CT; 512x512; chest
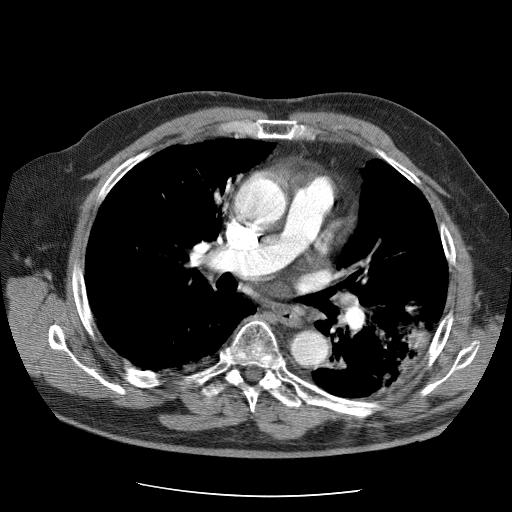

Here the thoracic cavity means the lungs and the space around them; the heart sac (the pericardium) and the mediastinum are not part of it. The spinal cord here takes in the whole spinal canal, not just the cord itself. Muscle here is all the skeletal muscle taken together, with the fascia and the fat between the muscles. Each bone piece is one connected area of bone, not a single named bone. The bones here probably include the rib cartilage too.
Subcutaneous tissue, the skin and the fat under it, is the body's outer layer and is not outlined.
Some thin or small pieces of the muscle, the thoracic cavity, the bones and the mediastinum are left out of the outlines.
The bones appear in 10 outlined pieces: piece 1: [[253,319],[269,326],[287,368],[293,373],[332,395],[378,400],[384,408],[359,418],[304,401],[298,407],[291,407],[263,390],[251,412],[237,386],[227,384],[217,394],[207,397],[200,386],[178,383],[184,376],[215,363],[219,351],[230,344],[240,326]], around a hole outlined by [[251,365],[254,365],[255,366],[257,366],[259,368],[262,369],[262,371],[263,372],[261,378],[260,378],[257,381],[255,382],[250,382],[248,381],[245,378],[243,374],[244,373],[244,370],[245,368],[247,366],[250,366]]; piece 2: [[245,119],[249,119],[252,121],[257,119],[296,120],[299,123],[304,123],[314,128],[317,128],[321,132],[312,140],[307,139],[282,139],[281,138],[256,139],[250,137],[236,138],[231,135],[216,135],[215,134],[216,129],[220,124],[234,120],[244,120]]; piece 3: [[76,259],[79,260],[83,266],[83,278],[85,284],[85,292],[91,313],[96,324],[96,327],[99,332],[99,333],[98,332],[95,333],[96,337],[95,340],[93,340],[90,337],[81,321],[77,311],[73,295],[71,284],[71,275],[72,274],[73,263]]; piece 4: [[53,324],[57,324],[60,326],[64,334],[64,339],[67,347],[81,363],[88,367],[93,368],[105,380],[111,383],[120,385],[126,392],[124,394],[122,394],[110,389],[102,384],[96,378],[79,367],[64,350],[52,348],[48,342],[48,328],[49,326]]; piece 5: [[147,149],[151,149],[151,154],[137,163],[133,167],[132,167],[113,186],[113,187],[106,195],[103,201],[97,208],[97,210],[96,211],[95,210],[95,205],[96,204],[96,199],[97,198],[98,193],[101,187],[111,174],[111,173],[125,160]]; piece 6: [[451,309],[452,309],[453,311],[453,321],[446,342],[431,366],[429,368],[425,369],[426,363],[427,362],[426,360],[424,359],[424,356],[426,353],[426,351],[428,349],[428,347],[432,340],[432,338],[436,331],[436,329],[439,324],[440,320],[442,317]]; piece 7: [[125,360],[127,360],[132,365],[139,369],[141,369],[142,370],[151,370],[154,372],[159,372],[161,373],[162,383],[158,386],[153,386],[152,387],[138,387],[133,384],[131,384],[124,379],[121,375],[121,374],[124,371],[123,366],[124,365]]; piece 8: [[473,340],[478,340],[479,341],[479,347],[473,359],[470,362],[470,363],[460,369],[456,369],[444,381],[436,386],[426,395],[421,395],[419,393],[420,390],[421,390],[428,384],[435,382],[442,378],[450,370],[460,350],[462,348],[468,346]]; piece 9: [[374,147],[377,147],[383,150],[389,156],[390,156],[392,158],[402,164],[409,170],[410,170],[420,180],[423,191],[422,191],[417,186],[416,186],[409,180],[408,180],[401,173],[400,173],[396,169],[395,169],[384,159],[379,157],[374,152],[373,150]]; piece 10: [[440,222],[444,222],[445,223],[452,237],[452,239],[453,240],[453,244],[455,248],[455,265],[451,267],[451,270],[450,271],[449,271],[448,269],[448,263],[445,257],[444,249],[443,248],[443,245],[442,244],[442,241],[440,236],[440,232],[438,227]]. The thoracic cavity appears in 2 outlined pieces: piece 1: [[214,135],[274,144],[225,192],[225,213],[209,256],[215,276],[230,272],[238,282],[237,292],[251,300],[256,311],[242,320],[212,364],[198,370],[201,363],[181,370],[142,369],[114,350],[97,327],[84,278],[90,230],[107,195],[137,164],[174,144]]; piece 2: [[378,157],[426,198],[447,263],[447,295],[427,349],[409,376],[399,385],[364,399],[346,398],[297,374],[306,377],[326,367],[332,355],[332,341],[315,325],[321,315],[316,306],[287,302],[316,294],[336,282],[338,255],[358,222],[364,182],[360,172]]. The torso is outlined by [[191,90],[263,98],[352,91],[390,99],[440,128],[504,206],[511,238],[511,273],[500,336],[483,381],[439,434],[393,448],[325,457],[217,457],[108,439],[64,423],[46,403],[20,361],[6,325],[0,238],[12,176],[33,158],[75,143],[115,112]]. The mediastinum appears in 2 outlined pieces: piece 1: [[226,192],[227,219],[280,280],[296,286],[318,276],[340,250],[333,285],[286,302],[316,307],[320,315],[314,325],[331,341],[327,365],[309,375],[288,367],[265,321],[242,322],[257,305],[238,292],[235,276],[230,271],[216,276],[210,256],[220,237]]; piece 2: [[317,136],[351,142],[377,156],[369,160],[359,172],[363,182],[358,198],[357,222],[351,235],[356,221],[357,194],[355,185],[337,168],[313,159],[300,157],[270,158],[258,164],[266,158],[275,147],[273,142],[265,141],[263,140],[265,139],[312,141]]. The muscle is outlined by [[213,106],[257,109],[271,118],[222,122],[213,135],[174,143],[154,153],[147,148],[125,159],[97,193],[84,265],[77,258],[72,263],[70,284],[80,321],[93,341],[96,333],[100,334],[125,359],[121,377],[138,388],[152,388],[163,383],[162,371],[181,371],[201,364],[177,383],[200,387],[200,393],[207,398],[231,385],[244,395],[251,413],[256,410],[260,394],[266,391],[291,408],[304,402],[362,419],[385,408],[378,399],[365,399],[403,383],[422,356],[424,369],[432,366],[454,321],[452,308],[443,315],[449,272],[456,265],[453,237],[444,221],[438,225],[421,180],[383,149],[374,146],[373,153],[351,141],[318,135],[322,132],[319,128],[287,118],[295,111],[332,111],[377,125],[448,194],[441,198],[474,264],[477,293],[472,326],[497,323],[501,328],[488,371],[466,402],[420,421],[352,429],[331,423],[296,439],[276,440],[260,432],[253,421],[198,431],[170,429],[158,421],[158,407],[118,407],[29,378],[6,325],[8,278],[40,274],[63,296],[78,207],[96,181],[82,177],[156,126]], around holes outlined by [[53,324],[57,324],[60,326],[64,334],[64,339],[67,347],[81,363],[88,367],[93,368],[105,380],[111,383],[120,385],[126,392],[124,394],[122,394],[110,389],[102,384],[96,378],[79,367],[64,350],[52,348],[48,342],[48,328],[49,326]] and by [[473,340],[478,340],[479,341],[479,347],[473,359],[470,362],[470,363],[460,369],[456,369],[444,381],[436,386],[426,395],[421,395],[419,393],[420,390],[421,390],[428,384],[435,382],[442,378],[450,370],[460,350],[462,348],[468,346]]. The spinal cord is outlined by [[251,365],[254,365],[255,366],[257,366],[259,368],[262,369],[262,371],[263,372],[261,378],[260,378],[257,381],[255,382],[250,382],[248,381],[245,378],[243,374],[244,373],[244,370],[245,368],[247,366],[250,366]]. The pericardium is outlined by [[277,158],[309,159],[337,169],[354,185],[357,199],[355,221],[348,239],[320,274],[300,281],[296,285],[280,279],[276,276],[275,272],[272,272],[269,267],[264,265],[252,253],[251,249],[227,216],[227,194],[230,187],[242,176],[264,161]].